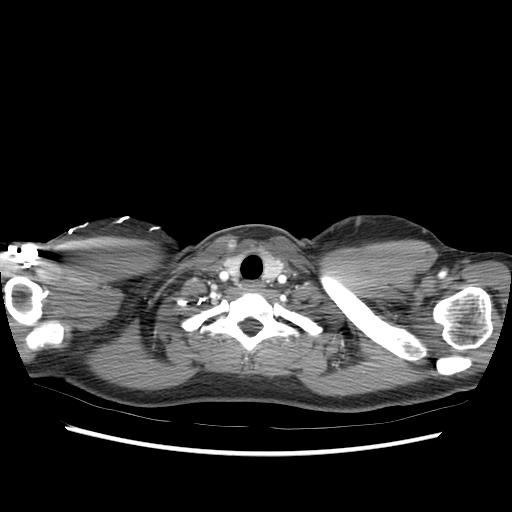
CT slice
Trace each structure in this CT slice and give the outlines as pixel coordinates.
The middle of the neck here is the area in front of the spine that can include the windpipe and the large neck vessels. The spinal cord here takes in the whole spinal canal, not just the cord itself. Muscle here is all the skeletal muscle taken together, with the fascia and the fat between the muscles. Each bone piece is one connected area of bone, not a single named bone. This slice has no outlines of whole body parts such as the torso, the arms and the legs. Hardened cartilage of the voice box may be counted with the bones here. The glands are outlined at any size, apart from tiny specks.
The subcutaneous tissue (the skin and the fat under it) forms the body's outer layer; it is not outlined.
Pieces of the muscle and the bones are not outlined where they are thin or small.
thyroid glands 1: 258 250; 267 252; 274 258; 278 259; 282 262; 283 264; 283 269; 282 271; 281 271; 280 273; 279 273; 274 278; 274 279; 269 283; 267 283; 264 281; 262 277; 263 272; 264 271; 264 265; 263 264; 262 259; 260 256; 255 252
thyroid glands 2: 242 253; 246 253; 243 259; 241 260; 239 264; 239 271; 240 272; 240 275; 239 277; 236 278; 235 277; 231 276; 231 275; 226 270; 224 266; 224 262; 227 258; 229 258; 230 257; 232 257; 233 256; 235 256; 238 254; 241 254
spinal cord: 247 318; 252 318; 253 319; 258 321; 259 322; 259 323; 261 325; 261 328; 256 333; 255 333; 252 335; 249 335; 247 333; 244 332; 243 331; 243 330; 241 328; 241 327; 239 324; 240 323; 241 323; 243 321; 244 321
middle of the neck: 250 252; 254 252; 261 259; 263 265; 261 277; 264 282; 271 283; 283 272; 286 276; 285 284; 281 287; 261 291; 244 291; 239 286; 229 281; 224 281; 220 277; 220 272; 223 268; 231 277; 239 278; 241 275; 240 264; 246 254
bones 1: 248 291; 260 292; 271 303; 281 301; 286 308; 310 317; 324 330; 317 336; 310 336; 300 328; 297 338; 267 338; 248 356; 233 337; 220 333; 201 334; 197 329; 191 332; 184 330; 180 326; 183 319; 211 307; 223 298; 230 301, around a hole outlined by 247 318; 252 318; 253 319; 258 321; 259 322; 259 323; 261 325; 261 328; 256 333; 255 333; 252 335; 249 335; 247 333; 244 332; 243 331; 243 330; 241 328; 241 327; 239 324; 240 323; 241 323; 243 321; 244 321
bones 2: 468 284; 473 284; 475 286; 479 286; 490 294; 493 302; 493 308; 495 314; 495 317; 493 319; 494 328; 490 337; 479 347; 459 351; 451 347; 442 338; 441 336; 442 326; 434 322; 432 318; 432 310; 435 304; 439 300; 452 295
bones 3: 321 270; 331 271; 339 276; 343 283; 376 315; 380 316; 384 321; 389 322; 392 325; 397 325; 404 328; 414 334; 426 346; 427 356; 417 361; 409 361; 398 357; 366 336; 348 319; 324 290; 318 279; 319 275; 321 274; 322 271
bones 4: 16 273; 27 275; 41 285; 44 298; 42 317; 44 319; 57 319; 62 323; 64 338; 58 347; 54 348; 46 345; 35 351; 29 350; 26 347; 25 337; 32 328; 29 326; 20 325; 19 322; 15 320; 6 309; 5 304; 5 283
bones 5: 454 354; 461 355; 462 356; 467 356; 469 357; 471 360; 471 365; 465 370; 460 372; 457 372; 452 375; 442 375; 441 374; 439 374; 436 370; 436 366; 435 365; 435 362; 436 360; 440 357; 446 357; 447 356; 453 355
muscle: 229 233; 256 239; 282 235; 301 247; 417 238; 437 248; 438 261; 503 261; 511 282; 485 369; 464 378; 322 396; 293 377; 239 379; 202 372; 180 385; 148 391; 109 383; 56 353; 24 362; 7 311; 31 328; 24 344; 32 352; 58 348; 64 327; 57 318; 43 317; 42 285; 27 274; 16 272; 4 283; 5 307; 0 252; 7 246; 45 245; 66 235; 129 234; 157 238; 180 251; inner edges: 258 250; 282 262; 286 276; 283 286; 260 292; 269 302; 281 301; 310 317; 324 330; 310 336; 300 328; 297 338; 267 338; 248 356; 233 337; 184 330; 183 319; 223 298; 230 301; 241 295; 244 290; 224 281; 220 272; 227 258, then 468 284; 473 284; 475 286; 479 286; 490 294; 493 302; 493 308; 495 314; 495 317; 493 319; 494 328; 490 337; 479 347; 459 351; 451 347; 442 338; 441 336; 442 326; 434 322; 432 318; 432 310; 435 304; 439 300; 452 295, then 321 270; 331 271; 339 276; 343 283; 376 315; 380 316; 384 321; 389 322; 392 325; 397 325; 404 328; 414 334; 426 346; 427 356; 417 361; 409 361; 398 357; 366 336; 348 319; 324 290; 318 279; 319 275; 321 274; 322 271, then 454 354; 461 355; 462 356; 467 356; 469 357; 471 360; 471 365; 465 370; 460 372; 457 372; 452 375; 442 375; 441 374; 439 374; 436 370; 436 366; 435 365; 435 362; 436 360; 440 357; 446 357; 447 356; 453 355